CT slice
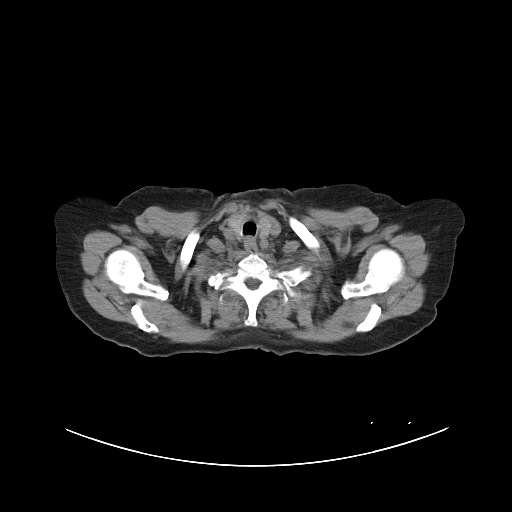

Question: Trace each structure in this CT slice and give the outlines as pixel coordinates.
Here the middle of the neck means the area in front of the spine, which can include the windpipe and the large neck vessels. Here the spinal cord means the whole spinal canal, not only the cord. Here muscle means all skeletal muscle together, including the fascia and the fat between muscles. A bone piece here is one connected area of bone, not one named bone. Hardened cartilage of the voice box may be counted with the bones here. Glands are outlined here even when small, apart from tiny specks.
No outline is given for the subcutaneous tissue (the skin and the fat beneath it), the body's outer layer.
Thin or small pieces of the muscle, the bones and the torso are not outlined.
Answer: The middle of the neck is outlined by [[247,214],[255,214],[259,217],[257,225],[259,229],[258,236],[261,242],[270,234],[272,223],[279,225],[281,228],[281,237],[275,246],[265,251],[255,252],[238,249],[225,242],[219,228],[220,224],[227,222],[232,233],[240,240],[242,225]]. The muscle is outlined by [[277,197],[295,204],[329,209],[366,206],[386,223],[398,224],[422,235],[431,254],[425,272],[426,293],[422,305],[411,314],[377,325],[382,308],[372,302],[355,327],[360,333],[334,342],[295,339],[276,330],[240,328],[216,340],[185,343],[170,342],[152,334],[160,330],[145,315],[140,298],[129,310],[137,327],[102,316],[85,299],[79,251],[88,232],[110,224],[127,224],[152,204],[207,213],[228,200],[257,202]], around holes outlined by [[247,214],[281,228],[275,246],[255,252],[272,268],[302,265],[311,271],[292,288],[304,297],[289,296],[283,303],[282,292],[273,290],[260,300],[257,326],[244,324],[249,311],[241,295],[207,282],[251,252],[227,244],[219,228],[231,217]] and by [[385,247],[389,247],[395,250],[403,259],[405,268],[405,273],[403,277],[385,292],[376,293],[368,296],[350,297],[344,299],[341,294],[341,287],[345,280],[350,280],[355,283],[361,282],[366,275],[368,269],[367,268],[368,262],[371,256],[374,252]] and by [[117,248],[127,249],[137,256],[140,261],[144,273],[144,279],[150,283],[159,284],[168,290],[169,294],[168,297],[165,300],[157,299],[151,296],[140,296],[133,293],[124,293],[116,284],[113,283],[105,275],[104,272],[104,262],[106,257],[110,252]] and by [[196,227],[199,229],[200,231],[200,235],[196,243],[196,245],[194,248],[194,250],[193,251],[190,262],[187,267],[184,270],[183,270],[180,265],[180,261],[179,260],[180,252],[181,251],[182,246],[184,243],[184,241],[186,239],[188,234],[192,229]] and by [[290,216],[292,216],[296,218],[298,220],[299,220],[308,229],[308,230],[312,233],[312,234],[317,239],[319,243],[319,248],[317,252],[314,251],[312,249],[310,249],[303,242],[303,241],[298,236],[298,235],[291,228],[288,222],[288,219]]. The right arm is outlined by [[86,195],[99,196],[112,204],[115,211],[122,219],[123,222],[135,233],[141,244],[144,253],[144,271],[141,281],[136,290],[124,302],[115,308],[97,315],[80,314],[70,310],[61,289],[54,264],[55,252],[55,227],[53,221],[54,211],[69,198]]. The torso is outlined by [[334,183],[357,183],[393,197],[366,234],[360,254],[362,275],[376,292],[413,298],[449,286],[436,306],[435,319],[389,349],[361,356],[238,349],[148,357],[103,339],[72,313],[104,314],[140,285],[144,249],[113,206],[136,189],[192,186],[221,194]]. The thyroid glands appear in 2 outlined pieces: piece 1: [[237,215],[243,215],[245,216],[245,219],[243,221],[241,225],[241,234],[240,235],[240,239],[238,239],[238,238],[236,237],[236,236],[233,233],[232,230],[229,227],[228,225],[228,220],[231,217],[233,216],[236,216]]; piece 2: [[260,217],[263,217],[264,218],[266,218],[268,219],[271,223],[271,227],[270,228],[270,231],[269,232],[269,234],[263,241],[261,241],[260,239],[260,237],[259,236],[259,234],[260,233],[260,229],[258,225],[258,221]]. The spinal cord is outlined by [[247,278],[255,278],[256,279],[257,279],[258,280],[259,280],[260,281],[260,283],[258,285],[258,286],[256,288],[255,288],[254,289],[251,289],[250,288],[249,288],[246,285],[246,284],[245,283],[245,280]]. The left arm is outlined by [[427,197],[444,197],[451,199],[461,206],[465,214],[465,225],[457,238],[457,247],[450,284],[442,289],[433,291],[428,294],[413,297],[393,297],[376,291],[366,281],[361,268],[361,254],[367,234],[373,224],[394,198],[399,202],[406,204],[413,200]]. The bones appear in 7 outlined pieces: piece 1: [[251,252],[257,253],[277,270],[302,265],[311,271],[308,277],[292,288],[304,297],[289,296],[287,302],[283,303],[282,292],[273,290],[260,300],[256,309],[257,326],[244,324],[249,311],[241,295],[231,289],[216,290],[207,282],[211,274],[234,268]] with a hole at [[247,278],[255,278],[256,279],[257,279],[258,280],[259,280],[260,281],[260,283],[258,285],[258,286],[256,288],[255,288],[254,289],[251,289],[250,288],[249,288],[246,285],[246,284],[245,283],[245,280]]; piece 2: [[385,247],[389,247],[395,250],[403,259],[405,268],[405,273],[403,277],[385,292],[376,293],[368,296],[350,297],[344,299],[341,294],[341,287],[345,280],[350,280],[355,283],[361,282],[366,275],[368,269],[367,268],[368,262],[371,256],[374,252]]; piece 3: [[117,248],[127,249],[137,256],[140,261],[144,273],[144,279],[150,283],[159,284],[168,290],[169,294],[168,297],[165,300],[157,299],[151,296],[140,296],[133,293],[124,293],[116,284],[113,283],[105,275],[104,272],[104,262],[106,257],[110,252]]; piece 4: [[196,227],[199,229],[200,231],[200,235],[196,243],[196,245],[194,248],[194,250],[193,251],[190,262],[187,267],[184,270],[183,270],[180,265],[180,261],[179,260],[180,252],[181,251],[182,246],[184,243],[184,241],[186,239],[188,234],[192,229]]; piece 5: [[290,216],[292,216],[296,218],[298,220],[299,220],[308,229],[308,230],[312,233],[312,234],[317,239],[319,243],[319,248],[317,252],[314,251],[312,249],[310,249],[303,242],[303,241],[298,236],[298,235],[291,228],[288,222],[288,219]]; piece 6: [[139,299],[141,300],[141,308],[142,309],[142,311],[144,315],[147,319],[148,319],[151,322],[152,322],[156,325],[156,326],[159,330],[158,332],[156,333],[149,333],[148,332],[146,332],[140,329],[137,326],[131,314],[130,310],[131,309],[131,307]]; piece 7: [[372,303],[375,303],[377,304],[381,308],[381,314],[378,318],[378,320],[376,323],[376,325],[369,331],[366,331],[365,332],[357,332],[356,331],[356,327],[357,325],[361,321],[363,320],[367,312],[369,310],[370,308],[370,306]].